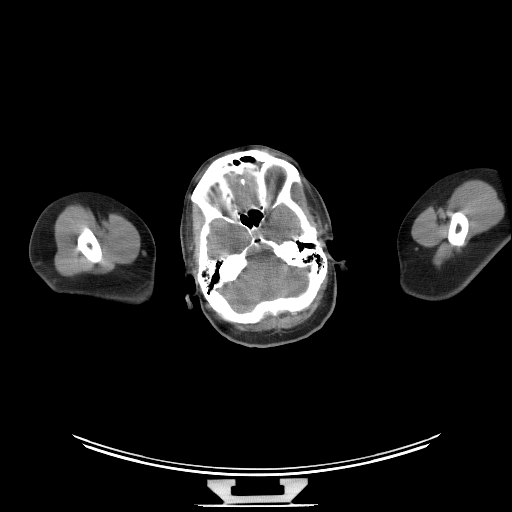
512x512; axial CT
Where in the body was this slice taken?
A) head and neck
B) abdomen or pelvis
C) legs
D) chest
Answer: A) head and neck
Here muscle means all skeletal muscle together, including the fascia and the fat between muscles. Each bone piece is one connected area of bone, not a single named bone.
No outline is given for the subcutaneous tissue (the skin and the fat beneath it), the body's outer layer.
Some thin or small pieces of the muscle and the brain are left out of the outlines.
The bones appear in 3 outlined pieces: piece 1: 248,149 265,150 291,163 298,170 302,185 299,186 295,183 292,186 291,196 301,207 307,218 313,222 317,230 317,237 324,244 323,250 327,258 327,272 314,299 306,308 294,313 285,311 277,315 268,314 256,323 244,324 225,320 210,306 196,282 198,271 196,238 200,231 196,215 199,210 197,207 194,207 190,196 212,161 225,154 with holes at 252,248 258,251 262,249 269,249 278,259 286,265 291,267 307,269 305,273 307,278 307,284 305,288 296,295 278,296 271,299 260,300 248,310 239,311 235,309 220,290 225,284 234,281 248,266 248,252 and at 217,220 235,226 237,228 239,228 240,230 243,230 245,232 248,237 248,242 240,251 237,252 229,252 226,248 222,248 218,251 218,255 216,257 210,257 209,255 209,249 208,248 208,236 211,233 212,223 and at 280,206 284,206 286,207 296,216 298,220 299,231 292,233 290,235 290,237 289,238 284,238 280,241 277,241 274,239 266,237 266,234 264,230 264,226 266,224 268,220 270,219 270,217 272,216 275,210 and at 245,174 248,174 254,178 255,197 256,198 256,202 257,204 256,203 250,203 245,206 240,207 237,205 232,188 226,176 234,180 236,180 240,185 246,186 247,185 247,182 246,181 246,177 245,176 and at 274,167 277,167 279,168 283,173 283,175 284,176 283,178 283,180 282,181 282,183 279,189 276,192 275,195 274,195 272,193 272,187 270,186 269,184 268,184 268,176 269,175 269,172 270,170 and at 252,211 256,211 257,212 258,212 260,214 260,217 259,218 259,219 258,220 257,223 252,223 250,225 249,225 248,224 245,223 242,220 242,216 244,216 245,217 248,217 250,215 250,212 251,212; piece 2: 85,226 88,227 92,231 99,242 99,244 101,248 101,252 102,253 102,262 101,263 100,262 99,263 92,263 90,261 89,261 84,256 84,255 76,248 77,246 77,238 79,234 81,232 82,229; piece 3: 459,210 466,216 466,217 468,219 468,222 469,223 469,227 468,228 467,234 464,240 464,244 460,247 451,245 447,239 447,235 448,234 448,229 449,228 450,220 453,217 453,213. The muscle appears in 6 outlined pieces: piece 1: 73,200 88,205 95,211 117,211 127,218 136,227 141,238 141,250 138,258 131,264 117,265 112,271 104,274 82,273 70,277 60,275 55,270 53,265 53,257 56,250 53,226 59,212 68,203 with a hole at 85,226 88,227 92,231 99,242 99,244 101,248 101,252 102,253 102,262 101,263 100,262 99,263 92,263 90,261 89,261 84,256 84,255 76,248 77,246 77,238 79,234 81,232 82,229; piece 2: 469,179 480,179 486,181 495,188 503,205 503,218 498,224 489,230 472,237 459,254 446,262 440,268 436,268 431,264 418,244 414,240 413,241 410,234 411,226 418,214 427,206 436,201 446,190 453,188 with a hole at 459,210 466,216 466,217 468,219 468,222 469,223 469,227 468,228 467,234 464,240 464,244 460,247 451,245 447,239 447,235 448,234 448,229 449,228 450,220 453,217 453,213; piece 3: 328,266 330,275 322,305 309,320 286,333 271,335 267,335 265,333 239,333 225,323 219,321 206,306 206,301 209,306 225,321 244,325 256,324 268,315 277,316 285,312 294,314 306,309 315,299 326,278; piece 4: 302,180 311,190 317,202 319,210 321,213 321,216 325,223 325,225 327,229 326,233 322,235 320,239 318,237 318,230 314,222 308,218 302,207 293,198 292,196 293,186 296,184 299,187 301,187 303,185; piece 5: 189,196 189,199 190,200 193,207 197,208 198,210 197,214 195,215 195,221 199,225 198,235 195,238 195,253 197,257 196,259 197,263 196,274 193,272 189,264 189,252 186,241 186,223 187,222 187,215 190,208 189,202; piece 6: 207,165 208,165 206,167 206,168 204,170 204,171 203,172 203,173 201,175 201,176 199,178 199,179 197,181 197,182 196,183 195,182 196,181 196,179 197,178 197,177 198,176 198,175 202,171 202,170. The left arm is outlined by 471,167 491,167 496,169 501,183 507,207 509,221 509,233 511,238 510,241 495,255 471,282 458,294 441,301 426,301 405,294 401,290 398,283 399,266 396,249 397,234 403,218 415,201 435,181 449,173. The brain appears in 4 outlined pieces: piece 1: 252,248 258,251 262,249 269,249 278,259 286,265 291,267 307,269 305,273 307,278 307,284 305,288 296,295 278,296 271,299 260,300 248,310 239,311 235,309 220,290 225,284 234,281 248,266 248,252; piece 2: 217,220 235,226 237,228 239,228 240,230 243,230 245,232 248,237 248,242 240,251 237,252 229,252 226,248 222,248 218,251 218,255 216,257 210,257 209,255 209,249 208,248 208,236 211,233 212,223; piece 3: 280,206 284,206 286,207 296,216 298,220 299,231 292,233 290,235 290,237 289,238 284,238 280,241 277,241 274,239 266,237 266,234 264,230 264,226 266,224 268,220 270,219 270,217 272,216 275,210; piece 4: 245,174 248,174 254,178 255,197 256,198 256,202 257,204 256,203 250,203 245,206 240,207 237,205 232,188 226,176 234,180 236,180 240,185 246,186 247,185 247,182 246,181 246,177 245,176. The head is outlined by 245,144 272,147 299,163 327,208 334,236 327,242 329,252 347,267 334,266 335,306 320,329 264,348 221,335 196,296 190,297 192,308 187,307 185,295 195,282 184,275 179,236 185,192 199,166 222,150; inner edge: 252,211 256,211 257,212 258,212 260,214 260,217 259,218 259,219 258,220 257,223 252,223 250,225 249,225 248,224 245,223 242,220 242,216 244,216 245,217 248,217 250,215 250,212 251,212. The right arm is outlined by 79,190 96,191 117,199 137,213 146,223 151,231 156,246 155,286 153,296 149,303 146,305 141,306 127,305 88,296 56,293 52,291 32,269 28,257 28,245 33,226 38,216 42,210 56,198.